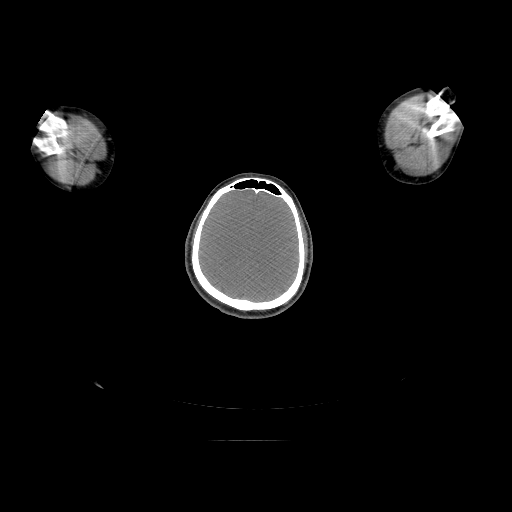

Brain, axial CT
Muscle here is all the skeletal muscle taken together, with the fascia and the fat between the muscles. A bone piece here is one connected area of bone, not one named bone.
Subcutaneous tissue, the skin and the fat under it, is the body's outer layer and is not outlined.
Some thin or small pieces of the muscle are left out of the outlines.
{"muscle":[[[424,91],[435,93],[426,102],[425,108],[427,115],[437,117],[429,125],[426,133],[428,138],[454,132],[457,124],[459,124],[460,130],[448,157],[442,165],[428,175],[414,176],[404,172],[396,165],[392,151],[385,141],[385,124],[391,111],[402,100]],[[56,111],[85,116],[101,131],[107,153],[99,171],[89,182],[85,184],[66,184],[56,180],[41,165],[39,155],[35,152],[34,146],[44,153],[56,154],[62,151],[57,137],[67,137],[70,131],[63,117],[55,117],[52,114]],[[299,211],[299,213],[300,214],[304,223],[304,226],[306,229],[306,232],[307,233],[307,236],[308,237],[308,261],[306,264],[306,266],[306,264],[305,263],[305,257],[306,256],[306,252],[305,251],[304,238],[303,237],[302,225],[301,224],[301,220],[300,219],[300,215],[299,214]],[[199,216],[199,218],[198,219],[198,221],[197,222],[197,224],[195,227],[195,229],[194,230],[194,231],[193,232],[193,234],[192,235],[192,238],[192,233],[193,232],[193,230],[194,229],[194,227],[195,226],[195,224],[196,223],[196,222],[197,221]]],"head":[{"outer":[[246,171],[271,174],[289,185],[295,192],[303,208],[311,229],[313,241],[314,258],[312,269],[309,281],[301,297],[282,313],[260,319],[244,319],[227,315],[209,305],[192,287],[184,267],[184,241],[186,234],[194,215],[205,197],[220,181],[236,173]],"hole":[[245,181],[255,181],[257,184],[259,184],[261,182],[263,182],[267,185],[272,185],[277,189],[278,192],[277,193],[276,192],[274,192],[265,187],[257,187],[256,186],[245,186],[244,187],[236,187],[235,185],[236,185],[238,183],[244,182]]}],"left_arm":[[[435,84],[440,87],[447,86],[465,110],[466,115],[463,125],[464,131],[462,137],[450,164],[447,169],[438,178],[423,184],[410,184],[399,181],[392,177],[386,171],[380,157],[376,136],[376,129],[379,117],[386,106],[393,99],[402,93],[415,87]]],"bones":[{"outer":[[244,176],[261,176],[271,179],[281,185],[292,197],[298,211],[301,225],[305,252],[305,267],[300,286],[297,292],[286,303],[266,310],[239,310],[220,302],[208,294],[200,286],[193,273],[191,265],[191,248],[193,235],[200,215],[209,199],[220,187]],"holes":[[[230,191],[252,191],[256,194],[263,192],[273,197],[282,199],[290,210],[293,218],[297,239],[297,266],[294,277],[290,284],[281,293],[271,299],[251,300],[248,298],[233,297],[211,283],[202,269],[199,252],[204,224],[215,204],[224,194]],[[245,181],[255,181],[257,184],[259,184],[261,182],[263,182],[267,185],[272,185],[277,189],[278,192],[277,193],[276,192],[274,192],[265,187],[257,187],[256,186],[245,186],[244,187],[236,187],[235,185],[236,185],[238,183],[244,182]]]},[[435,94],[440,97],[455,113],[456,116],[460,121],[460,123],[457,123],[455,125],[454,131],[447,132],[439,136],[429,138],[427,135],[427,133],[430,127],[430,125],[438,117],[427,114],[426,108],[427,107],[427,102],[433,96],[432,95]],[[51,115],[55,118],[63,118],[67,129],[69,131],[67,136],[63,137],[57,136],[56,137],[61,149],[61,151],[56,153],[41,151],[36,145],[34,145],[32,143],[32,139],[36,135],[44,138],[51,138],[52,137],[49,132],[39,130],[41,125]]],"brain":[[[230,191],[252,191],[256,194],[263,192],[273,197],[282,199],[290,210],[293,218],[297,239],[297,266],[294,277],[290,284],[281,293],[271,299],[251,300],[248,298],[233,297],[211,283],[202,269],[199,252],[204,224],[215,204],[224,194]]],"right_arm":[[[49,105],[50,106],[51,105],[71,105],[72,106],[77,106],[86,109],[100,118],[111,133],[115,147],[114,162],[111,171],[106,179],[95,189],[85,193],[74,193],[61,189],[55,186],[45,177],[31,155],[28,142],[32,134],[35,131],[40,116]]]}